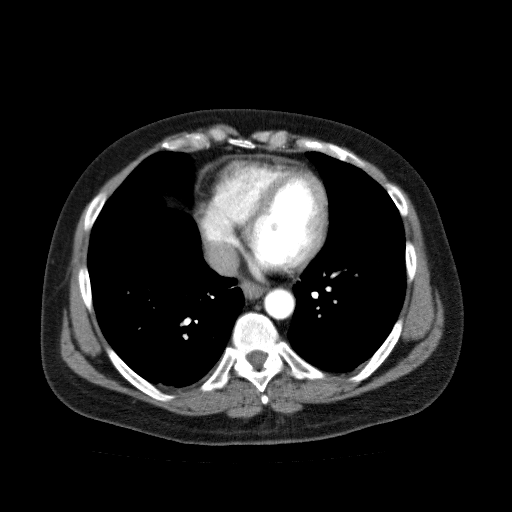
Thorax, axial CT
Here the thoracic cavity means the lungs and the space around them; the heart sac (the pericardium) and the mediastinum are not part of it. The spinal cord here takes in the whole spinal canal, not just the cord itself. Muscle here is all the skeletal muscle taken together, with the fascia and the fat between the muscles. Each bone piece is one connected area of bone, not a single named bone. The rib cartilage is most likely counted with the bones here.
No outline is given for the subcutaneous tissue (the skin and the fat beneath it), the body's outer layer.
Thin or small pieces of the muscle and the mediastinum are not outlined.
The torso is outlined by [[209,108],[273,109],[335,120],[383,141],[422,177],[443,223],[464,307],[463,341],[455,371],[446,388],[429,406],[407,417],[321,440],[210,446],[180,443],[83,416],[52,392],[40,357],[41,296],[52,234],[70,190],[90,162],[123,135],[168,116]]. The bones appear in 9 outlined pieces: piece 1: [[247,312],[265,315],[280,337],[301,358],[323,371],[325,377],[297,379],[288,373],[289,367],[286,364],[267,383],[264,389],[268,398],[266,404],[262,403],[259,390],[232,370],[223,387],[209,391],[200,390],[200,385],[212,373],[230,343],[237,318]]; inner edge: [[256,350],[258,350],[259,351],[261,351],[266,354],[266,358],[265,359],[265,360],[263,362],[263,363],[261,365],[261,367],[260,368],[255,368],[251,364],[251,363],[248,360],[248,359],[247,358],[247,355],[249,353],[250,353],[253,351],[255,351]]; piece 2: [[212,128],[242,139],[250,139],[254,133],[263,131],[274,133],[283,130],[288,141],[285,148],[274,149],[265,147],[263,142],[258,142],[254,148],[246,148],[225,140],[212,141],[209,147],[201,149],[162,149],[160,144],[164,141],[187,133],[206,133]]; piece 3: [[108,345],[111,347],[111,348],[117,354],[117,355],[134,372],[151,384],[154,385],[161,391],[168,394],[174,395],[174,398],[167,401],[162,401],[161,400],[155,399],[146,394],[129,382],[116,369],[109,359],[107,355],[107,353],[105,350],[106,346]]; piece 4: [[399,317],[403,319],[403,324],[402,325],[401,332],[398,340],[386,358],[380,364],[380,365],[365,379],[363,379],[359,382],[355,382],[354,381],[350,381],[348,380],[348,379],[351,376],[355,375],[364,366],[367,361],[379,348],[390,333],[394,324]]; piece 5: [[301,138],[306,138],[320,142],[329,142],[330,143],[333,143],[343,149],[353,153],[364,162],[366,167],[364,170],[360,167],[358,167],[346,161],[343,161],[326,153],[316,150],[306,150],[303,148],[300,148],[295,144],[295,141],[297,139],[300,139]]; piece 6: [[100,191],[105,191],[107,193],[107,198],[105,202],[103,204],[98,215],[96,217],[91,227],[91,229],[89,231],[86,231],[84,230],[84,219],[85,218],[85,214],[86,213],[86,211],[87,210],[88,205],[90,201],[94,197],[94,196]]; piece 7: [[83,264],[86,264],[87,271],[88,272],[88,276],[89,277],[89,282],[90,283],[90,288],[91,289],[92,306],[93,307],[93,310],[91,312],[88,310],[84,303],[84,301],[82,298],[82,296],[80,292],[80,288],[79,287],[78,272],[80,267]]; piece 8: [[386,182],[391,182],[393,183],[395,185],[396,185],[401,191],[406,201],[406,203],[407,204],[407,208],[408,209],[408,213],[407,215],[405,216],[401,216],[400,214],[400,212],[398,208],[396,206],[395,203],[387,192],[386,189],[383,186],[383,185]]; piece 9: [[406,240],[409,240],[413,244],[413,246],[414,247],[414,249],[415,250],[415,254],[416,255],[416,266],[415,267],[415,273],[414,274],[413,279],[410,282],[408,282],[407,281],[407,272],[406,271],[406,260],[405,259],[405,250],[406,249]]. The mediastinum appears in 3 outlined pieces: piece 1: [[201,241],[205,258],[221,274],[234,275],[262,286],[279,286],[300,277],[292,287],[295,307],[286,334],[287,340],[281,337],[274,323],[265,314],[247,311],[239,316],[244,306],[244,296],[242,290],[235,285],[237,279],[220,275],[208,265],[203,257]]; piece 2: [[224,141],[231,145],[246,149],[264,147],[269,150],[305,150],[305,155],[313,163],[321,178],[313,168],[299,159],[262,152],[227,153],[208,163],[200,171],[196,180],[194,198],[192,175],[193,160],[188,154],[183,151],[207,149],[211,146],[212,143]]; piece 3: [[162,192],[178,193],[179,194],[184,195],[186,199],[187,206],[190,209],[193,207],[193,204],[193,208],[194,209],[193,215],[194,216],[194,219],[194,218],[189,213],[183,209],[181,209],[179,207],[177,207],[176,206],[167,205],[165,198],[162,194]]. The pericardium is outlined by [[234,153],[262,153],[299,160],[313,169],[323,182],[329,204],[329,226],[325,242],[319,252],[299,276],[289,282],[279,285],[262,285],[234,274],[230,275],[221,273],[213,267],[206,258],[194,215],[194,199],[197,180],[201,171],[208,164],[224,155]]. The muscle appears in 4 outlined pieces: piece 1: [[392,182],[407,194],[415,209],[430,285],[444,308],[439,343],[408,373],[357,395],[309,405],[291,414],[266,406],[251,417],[234,418],[170,411],[93,383],[62,359],[59,340],[63,310],[69,307],[72,245],[88,203],[83,230],[90,233],[86,263],[77,272],[79,292],[87,310],[94,311],[108,343],[104,348],[108,359],[146,395],[167,402],[175,395],[161,390],[187,390],[200,383],[198,389],[203,392],[221,389],[232,371],[249,381],[266,405],[265,389],[286,365],[294,379],[314,380],[324,379],[325,372],[347,373],[364,364],[347,380],[365,380],[400,338],[404,319],[399,315],[407,282],[414,279],[417,266],[416,250],[406,239],[402,220],[409,213],[408,204]]; piece 2: [[217,123],[223,123],[232,126],[243,136],[248,136],[257,130],[280,130],[274,132],[268,130],[254,132],[250,138],[242,138],[229,135],[225,130],[218,127],[212,127],[206,132],[202,131],[187,132],[183,136],[162,141],[159,144],[161,150],[150,154],[136,165],[108,197],[108,193],[105,190],[100,190],[98,192],[108,179],[122,169],[140,153],[153,146],[154,144],[165,137],[183,131],[191,131],[199,127],[208,127]]; piece 3: [[359,157],[370,162],[372,164],[376,166],[380,170],[381,170],[382,172],[391,181],[386,181],[382,185],[380,184],[375,179],[374,179],[373,177],[372,177],[366,171],[365,171],[367,166],[365,162]]; piece 4: [[287,131],[294,134],[300,134],[301,135],[310,136],[311,137],[314,137],[325,141],[320,141],[319,140],[311,139],[306,137],[301,137],[300,138],[297,138],[294,141],[294,144],[298,148],[303,149],[300,149],[299,150],[298,149],[286,149],[289,141]]. The spinal cord is outlined by [[256,350],[258,350],[259,351],[261,351],[266,354],[266,358],[265,359],[265,360],[263,362],[263,363],[261,365],[261,367],[260,368],[255,368],[251,364],[251,363],[248,360],[248,359],[247,358],[247,355],[249,353],[250,353],[253,351],[255,351]]. The thoracic cavity appears in 2 outlined pieces: piece 1: [[162,150],[182,151],[192,160],[192,207],[184,194],[167,191],[161,192],[166,205],[193,218],[204,261],[220,276],[236,279],[234,285],[243,296],[229,343],[211,373],[178,390],[151,383],[109,344],[94,310],[87,266],[91,230],[107,199],[136,166]]; piece 2: [[307,151],[326,154],[366,172],[385,189],[399,212],[404,230],[406,286],[398,317],[385,339],[366,362],[347,372],[337,373],[318,368],[301,357],[287,341],[288,330],[296,307],[293,287],[324,246],[330,226],[328,194],[320,172],[306,155]].